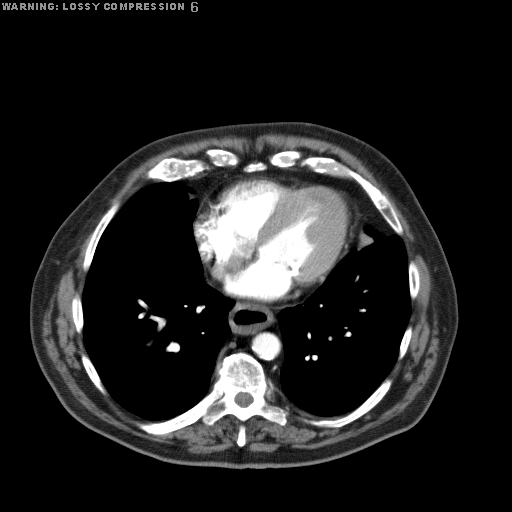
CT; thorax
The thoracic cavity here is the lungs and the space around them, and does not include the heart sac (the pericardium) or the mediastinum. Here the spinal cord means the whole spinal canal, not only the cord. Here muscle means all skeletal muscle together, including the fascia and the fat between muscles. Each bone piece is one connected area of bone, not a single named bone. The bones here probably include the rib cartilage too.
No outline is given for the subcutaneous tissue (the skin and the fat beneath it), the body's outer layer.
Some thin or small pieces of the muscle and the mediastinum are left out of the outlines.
Outlined structures:
spinal cord: 240,392 245,392 246,393 248,393 251,396 251,397 252,398 252,400 251,401 251,402 250,403 249,403 246,406 241,406 240,405 239,405 235,401 235,397 237,395 237,394 238,393 239,393
mediastinum 1: 309,294 301,303 284,307 277,315 284,351 283,362 278,377 276,375 271,378 267,377 263,365 254,356 245,351 231,352 217,363 218,354 223,344 231,335 228,315 235,303 232,298 252,304 279,305 297,302
mediastinum 2: 239,164 243,164 246,173 263,171 269,164 278,168 306,167 315,173 352,180 389,229 380,231 366,224 360,233 360,206 339,185 270,173 224,177 205,194 197,213 198,201 189,197 188,188 179,180 212,166
muscle 1: 265,133 299,135 336,144 359,158 387,188 414,236 415,252 421,255 428,267 432,284 429,313 431,314 433,310 436,314 439,338 437,360 427,382 399,414 355,436 334,443 315,448 297,448 282,444 270,452 252,451 244,446 247,442 244,423 253,416 260,416 284,426 288,421 289,407 275,403 276,395 313,416 338,417 304,418 302,420 305,423 320,428 340,428 370,411 385,396 393,383 393,380 387,377 397,360 401,360 406,354 412,337 413,327 408,324 411,300 417,297 420,288 420,272 413,259 408,261 405,244 401,237 404,230 391,201 368,179 331,156 303,156 298,149 285,149 269,155 268,163 259,159 244,164 240,163 240,157 235,152 210,147 204,151 207,161 196,157 162,158 144,174 146,179 154,180 139,188 121,206 121,203 116,200 104,212 110,199 123,185 130,172 153,155 174,145 206,137 237,135 253,140
muscle 2: 102,213 84,251 82,270 86,275 81,296 75,292 70,305 75,331 82,334 86,353 80,353 80,360 87,376 101,394 108,393 128,412 146,420 136,421 135,424 148,434 165,435 199,420 205,425 212,426 222,417 233,415 240,421 236,445 209,453 193,453 185,446 150,440 118,428 83,406 54,367 42,340 43,315 61,276 73,263 78,246
pericardium: 237,174 270,174 304,180 321,180 346,190 359,206 361,218 359,221 359,235 357,241 335,265 322,283 297,301 279,304 252,303 243,299 227,296 210,285 206,280 203,264 194,237 193,222 206,194 224,178
torso: 267,121 306,121 335,128 371,144 401,171 441,243 456,288 458,328 448,364 430,406 413,427 337,459 263,469 193,466 158,460 89,429 60,403 32,348 29,304 33,279 61,223 130,153 153,140 182,131
bones 1: 236,352 248,353 262,365 275,389 274,403 288,407 284,425 260,415 251,416 243,423 246,442 241,447 236,443 241,421 233,414 212,425 199,419 160,435 137,426 136,422 171,419 193,407 216,380 216,365 with a hole at 240,392 245,392 246,393 248,393 251,396 251,397 252,398 252,400 251,401 251,402 250,403 249,403 246,406 241,406 240,405 239,405 235,401 235,397 237,395 237,394 238,393 239,393
bones 2: 285,150 298,150 301,152 303,157 331,157 368,180 377,187 392,204 403,230 402,235 397,234 392,229 368,195 352,179 315,172 306,166 300,166 298,164 289,167 278,167 270,164 268,162 269,156 279,151
bones 3: 210,148 224,149 235,153 240,160 239,163 235,166 215,166 211,164 209,169 204,170 193,176 173,181 161,181 148,179 145,177 146,172 164,158 196,158 202,159 207,162 208,158 205,154 205,151
bones 4: 386,378 390,378 392,380 392,383 387,392 379,402 378,402 370,410 357,419 340,427 320,427 319,426 316,426 307,423 303,420 304,419 314,419 315,420 319,420 320,419 335,419 353,411 363,402 364,402
bones 5: 116,201 118,201 120,203 120,206 102,232 95,248 93,254 93,257 89,266 89,268 88,270 85,272 83,270 83,261 84,260 85,251 88,242 90,239 90,237 95,227 99,222 104,213 108,208
bones 6: 81,353 85,353 88,356 97,374 99,376 100,378 100,380 103,386 105,388 107,392 106,394 103,394 101,393 100,391 91,381 90,378 88,376 83,366 83,364 81,360
bones 7: 410,260 413,260 415,262 415,263 417,266 417,268 418,269 418,271 419,272 419,288 418,289 418,292 417,293 417,295 416,296 416,297 413,300 412,300 410,297 410,291 409,290 409,273 408,272 408,262
bones 8: 75,293 78,293 80,295 80,297 81,298 81,307 82,308 82,316 83,317 83,327 82,328 82,331 81,333 78,333 76,331 75,325 73,321 73,317 72,316 72,308 71,307 71,305 72,304 72,299
bones 9: 409,325 410,325 412,327 411,337 410,338 410,340 409,341 409,343 408,344 408,346 407,347 405,354 403,356 403,357 399,360 398,359 398,355 399,354 399,348 400,347 400,344 401,343 403,335 407,327
bones 10: 259,160 261,161 263,161 267,164 267,167 265,169 263,170 260,170 259,171 253,171 252,172 246,172 244,171 243,169 243,167 245,164 246,164 248,162 255,162
thoracic cavity 1: 160,181 182,182 188,190 188,197 197,201 192,231 204,280 234,303 227,315 230,335 217,354 214,369 217,376 208,392 180,414 151,421 128,411 104,386 84,344 81,297 96,248 111,220 139,189
thoracic cavity 2: 366,225 380,232 388,232 390,227 400,236 404,244 410,298 408,323 399,344 395,363 373,392 356,408 341,416 320,417 278,397 274,384 268,379 279,377 285,357 278,315 284,308 301,304 323,283 358,242